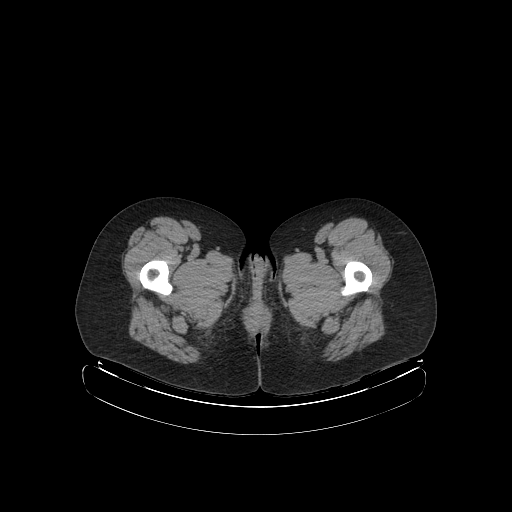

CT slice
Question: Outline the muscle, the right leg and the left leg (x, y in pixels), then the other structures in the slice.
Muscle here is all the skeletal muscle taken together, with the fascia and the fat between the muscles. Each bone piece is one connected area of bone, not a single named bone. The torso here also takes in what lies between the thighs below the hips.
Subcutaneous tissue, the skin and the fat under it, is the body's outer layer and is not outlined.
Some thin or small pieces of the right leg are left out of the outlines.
Answer: {"muscle":[{"outer":[[165,215],[178,215],[194,223],[203,238],[213,244],[216,250],[233,259],[237,272],[237,284],[229,305],[219,319],[197,340],[198,347],[203,353],[201,363],[183,364],[171,360],[132,339],[128,333],[129,290],[121,272],[121,255],[136,228],[153,217]],"hole":[[152,259],[162,259],[163,260],[165,260],[167,262],[168,269],[169,270],[168,279],[169,280],[169,282],[173,287],[172,291],[170,294],[168,295],[160,295],[153,291],[151,291],[144,288],[142,286],[138,278],[138,273],[141,267],[145,263]]},{"outer":[[350,216],[362,217],[375,227],[393,259],[391,276],[381,289],[385,333],[380,339],[360,351],[334,362],[324,362],[318,357],[323,336],[299,325],[282,305],[278,294],[278,273],[284,256],[292,252],[307,251],[313,244],[315,233],[322,225],[337,218]],"hole":[[350,260],[358,260],[359,261],[361,261],[369,267],[372,273],[372,283],[368,288],[368,291],[366,292],[359,292],[358,293],[355,293],[351,295],[343,296],[340,292],[341,288],[345,283],[344,282],[343,273],[344,272],[344,268],[345,267],[346,263]]}],"right_leg":[[[156,196],[180,197],[207,205],[229,217],[243,231],[246,246],[239,262],[240,301],[244,316],[258,342],[259,388],[255,393],[230,397],[180,389],[156,381],[117,363],[94,356],[84,346],[76,325],[74,306],[91,247],[101,229],[116,213],[136,201]]],"left_leg":[[[345,197],[366,198],[385,206],[402,219],[418,239],[429,264],[435,287],[437,320],[434,332],[427,347],[418,356],[348,385],[289,397],[266,394],[260,388],[259,341],[268,324],[277,296],[274,261],[268,246],[269,237],[274,229],[289,217],[320,203]]],"torso":[[[249,252],[254,254],[257,253],[261,256],[264,256],[266,254],[268,255],[272,262],[274,269],[274,286],[276,291],[276,296],[269,314],[267,324],[260,339],[246,318],[242,308],[242,302],[241,301],[242,300],[242,278],[240,273],[240,262],[243,256]]],"bones":[[[152,259],[162,259],[163,260],[165,260],[167,262],[168,269],[169,270],[168,279],[169,280],[169,282],[173,287],[172,291],[170,294],[168,295],[160,295],[153,291],[151,291],[144,288],[142,286],[138,278],[138,273],[141,267],[145,263]],[[350,260],[358,260],[359,261],[361,261],[369,267],[372,273],[372,283],[368,288],[368,291],[366,292],[359,292],[358,293],[355,293],[351,295],[343,296],[340,292],[341,288],[345,283],[344,282],[343,273],[344,272],[344,268],[345,267],[346,263]]]}